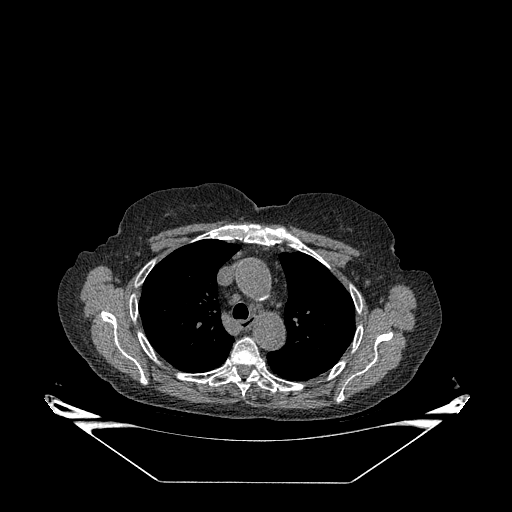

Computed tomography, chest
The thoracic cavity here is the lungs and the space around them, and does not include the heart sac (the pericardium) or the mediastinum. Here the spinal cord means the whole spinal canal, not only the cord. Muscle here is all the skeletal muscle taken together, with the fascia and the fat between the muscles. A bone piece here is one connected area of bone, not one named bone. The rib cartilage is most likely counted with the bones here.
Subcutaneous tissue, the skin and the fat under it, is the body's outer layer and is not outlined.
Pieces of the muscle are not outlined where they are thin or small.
{"bones":[{"outer":[[244,336],[250,337],[255,342],[267,368],[273,374],[289,381],[305,382],[306,386],[302,390],[278,390],[272,393],[252,382],[243,397],[239,387],[231,381],[211,386],[208,383],[180,380],[174,375],[176,371],[206,372],[221,366],[229,356],[234,342]],"hole":[[239,365],[247,365],[248,366],[249,366],[251,368],[250,369],[250,372],[249,373],[249,374],[246,377],[245,377],[244,378],[243,378],[238,373],[238,366]]},[[249,223],[258,223],[262,226],[273,228],[284,226],[288,231],[319,254],[330,265],[335,274],[310,255],[293,249],[284,244],[277,243],[268,246],[257,243],[247,243],[240,240],[227,241],[213,238],[200,239],[188,243],[194,237],[226,224]],[[102,310],[110,312],[115,316],[117,323],[116,331],[118,342],[120,346],[129,355],[135,358],[139,363],[144,375],[148,379],[148,383],[146,385],[140,382],[140,374],[136,365],[130,359],[124,356],[116,346],[114,341],[113,325],[102,319],[100,315]],[[389,331],[391,331],[393,335],[389,340],[382,341],[378,344],[376,361],[365,372],[355,376],[346,385],[344,389],[344,398],[342,401],[337,403],[335,401],[335,398],[338,395],[345,380],[350,375],[362,370],[373,359],[374,357],[373,347],[377,336]],[[138,329],[141,330],[144,333],[149,343],[157,354],[157,356],[158,358],[162,362],[162,364],[163,365],[162,366],[160,366],[156,363],[155,363],[147,355],[147,354],[142,348],[138,340],[138,338],[137,337],[137,334],[136,333],[136,331]],[[155,256],[157,256],[158,257],[158,259],[159,261],[158,261],[155,264],[155,265],[146,276],[141,286],[137,288],[134,288],[134,281],[135,280],[135,277],[137,273],[142,267],[142,266],[148,260],[149,260],[151,258]],[[348,280],[349,281],[351,281],[356,286],[356,287],[360,291],[362,295],[362,301],[363,302],[363,306],[362,307],[362,309],[361,310],[361,313],[360,314],[356,314],[356,311],[355,310],[355,306],[354,305],[352,297],[349,291],[346,287],[348,285]],[[133,292],[135,292],[136,293],[136,295],[138,298],[138,304],[137,305],[137,307],[138,308],[138,318],[135,324],[133,323],[132,321],[132,319],[129,313],[129,298],[130,297],[130,295]],[[360,322],[362,323],[363,325],[363,334],[362,335],[362,338],[356,350],[353,353],[351,354],[350,353],[350,350],[351,349],[351,347],[350,346],[351,345],[351,343],[352,342],[352,340],[353,339],[353,337],[354,336],[354,334],[356,330],[356,326]],[[343,357],[344,357],[346,359],[346,364],[345,365],[344,368],[335,377],[334,377],[333,378],[332,378],[329,380],[325,380],[325,378],[326,377],[326,376],[327,375],[327,374],[328,373],[329,370],[338,361],[339,361]]],"thoracic_cavity":[[[209,239],[239,244],[239,249],[218,268],[215,276],[221,323],[227,333],[233,337],[234,341],[228,356],[221,365],[206,371],[187,372],[178,370],[168,363],[156,352],[150,343],[144,332],[139,316],[139,297],[141,287],[147,276],[164,257],[185,244]],[[292,249],[315,259],[335,275],[348,291],[355,311],[355,330],[350,345],[341,358],[327,372],[305,381],[280,377],[268,368],[266,362],[266,356],[269,352],[279,350],[286,343],[287,330],[284,309],[288,299],[288,288],[279,256],[282,252],[289,252]]],"muscle":[{"outer":[[102,264],[126,284],[137,272],[133,288],[140,287],[140,293],[138,297],[135,291],[129,295],[128,313],[135,325],[139,317],[143,331],[139,328],[135,331],[137,340],[155,364],[164,365],[158,355],[177,370],[173,375],[180,381],[211,387],[234,383],[243,398],[252,383],[274,394],[302,391],[306,381],[325,373],[325,381],[335,378],[347,364],[343,356],[347,349],[350,347],[349,353],[353,354],[363,338],[364,325],[360,321],[356,324],[356,315],[362,313],[364,306],[363,295],[370,310],[381,308],[394,284],[407,285],[417,298],[415,326],[399,364],[344,404],[314,410],[286,410],[258,408],[243,402],[195,403],[140,385],[97,352],[82,315],[78,292],[88,272]],"holes":[[[102,310],[110,312],[115,316],[117,323],[116,331],[118,342],[120,346],[129,355],[135,358],[139,363],[144,375],[148,379],[148,383],[146,385],[140,382],[140,374],[136,365],[130,359],[124,356],[116,346],[114,341],[113,325],[102,319],[100,315]],[[389,331],[391,331],[393,335],[389,340],[382,341],[378,344],[376,361],[365,372],[355,376],[346,385],[344,389],[344,398],[342,401],[337,403],[335,401],[335,398],[338,395],[345,380],[350,375],[362,370],[373,359],[374,357],[373,347],[377,336]]]},[[261,223],[274,223],[282,225],[290,224],[339,240],[357,249],[360,254],[353,257],[346,265],[346,269],[351,277],[353,279],[355,278],[355,284],[348,279],[347,285],[345,286],[338,279],[331,265],[312,247],[288,230],[284,225],[273,227],[262,225]],[[220,220],[251,222],[248,223],[226,223],[211,228],[194,236],[187,243],[177,247],[160,260],[157,255],[151,257],[152,252],[150,249],[150,244],[148,241],[148,239],[151,236],[156,235],[164,230],[184,225],[203,222],[215,222]]],"torso":[[[206,182],[231,185],[258,206],[283,204],[300,193],[332,192],[379,214],[395,238],[400,267],[408,269],[412,288],[441,325],[412,379],[348,416],[276,421],[153,406],[100,378],[61,325],[57,290],[63,274],[80,251],[93,250],[117,231],[136,200]]],"mediastinum":[[[234,241],[268,247],[277,244],[291,249],[282,251],[278,256],[287,288],[287,299],[283,309],[286,330],[285,343],[279,349],[269,351],[265,359],[262,357],[256,342],[250,336],[244,335],[235,340],[222,323],[216,276],[219,268],[240,249],[240,244]]],"left_arm":[[[409,269],[418,269],[419,270],[423,270],[427,272],[431,276],[441,306],[441,311],[442,312],[442,320],[441,321],[441,324],[426,307],[422,300],[419,298],[418,295],[413,288],[412,284],[410,281]]],"spinal_cord":[[[239,365],[247,365],[248,366],[249,366],[251,368],[250,369],[250,372],[249,373],[249,374],[246,377],[245,377],[244,378],[243,378],[238,373],[238,366]]]}